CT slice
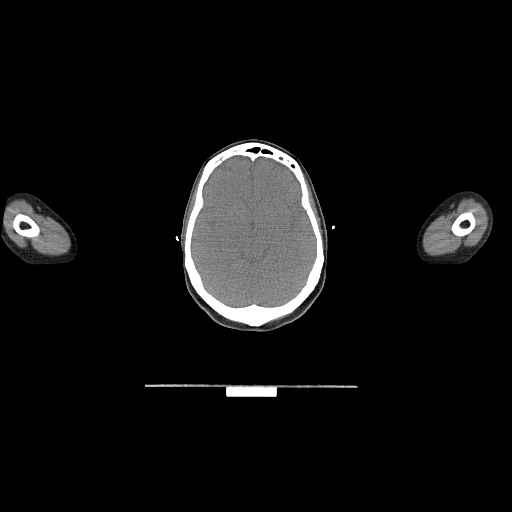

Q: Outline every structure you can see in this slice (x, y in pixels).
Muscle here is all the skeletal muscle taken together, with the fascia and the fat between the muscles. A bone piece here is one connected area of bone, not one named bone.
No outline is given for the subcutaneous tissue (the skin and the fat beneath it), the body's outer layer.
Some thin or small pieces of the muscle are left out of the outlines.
A: {"head":[[[244,139],[262,139],[275,143],[299,158],[314,186],[327,230],[328,263],[325,282],[320,294],[300,317],[268,331],[239,330],[215,322],[199,307],[189,294],[180,265],[181,250],[180,241],[177,238],[181,234],[186,203],[198,170],[214,152],[232,142]]],"bones":[{"outer":[[247,142],[262,143],[276,148],[291,156],[298,163],[304,175],[309,203],[322,237],[324,255],[319,280],[309,295],[292,312],[261,325],[249,325],[230,320],[219,314],[196,292],[184,266],[185,231],[188,218],[195,202],[197,184],[205,164],[222,151]],"hole":[[235,156],[247,157],[252,162],[260,157],[267,158],[293,174],[299,184],[299,204],[308,218],[315,238],[315,255],[304,284],[295,295],[278,305],[265,306],[254,302],[243,306],[226,304],[205,287],[192,255],[195,224],[205,204],[204,186],[217,167]]},[[19,213],[21,213],[22,214],[24,214],[25,215],[27,215],[29,216],[38,225],[40,229],[40,232],[39,234],[36,237],[34,237],[33,238],[28,238],[25,236],[23,236],[19,234],[14,229],[12,223],[13,222],[13,220],[15,216]],[[466,211],[467,211],[469,213],[472,213],[473,214],[473,215],[475,218],[475,226],[473,228],[473,229],[466,235],[465,235],[464,236],[457,236],[456,235],[455,235],[451,231],[451,226],[452,225],[454,220],[461,213],[462,213],[463,212],[465,212]]],"right_arm":[[[18,191],[24,191],[35,195],[47,204],[69,225],[75,235],[76,241],[77,242],[77,254],[73,260],[67,263],[63,263],[62,264],[31,265],[22,261],[7,247],[1,237],[3,218],[4,217],[4,211],[5,210],[6,201],[8,196],[10,194]]],"left_arm":[[[462,190],[473,190],[476,192],[478,192],[487,200],[490,205],[493,215],[493,223],[492,224],[491,232],[486,242],[471,259],[460,265],[439,265],[438,264],[428,264],[423,262],[418,257],[416,251],[416,238],[422,224],[431,212],[443,200],[450,195]]],"muscle":[{"outer":[[464,197],[472,197],[474,198],[478,202],[482,204],[486,211],[487,214],[487,227],[481,239],[476,245],[462,251],[457,251],[453,253],[444,254],[439,256],[429,256],[427,255],[422,249],[422,238],[426,228],[449,205],[460,198],[463,198]],"hole":[[466,211],[467,211],[469,213],[472,213],[473,214],[473,215],[475,218],[475,226],[473,228],[473,229],[466,235],[465,235],[464,236],[457,236],[456,235],[455,235],[451,231],[451,226],[452,225],[454,220],[461,213],[462,213],[463,212],[465,212]]},{"outer":[[21,198],[32,202],[36,206],[39,207],[48,216],[50,216],[57,221],[65,229],[68,233],[71,241],[71,248],[68,253],[59,256],[43,255],[36,252],[22,249],[18,247],[9,238],[5,230],[4,225],[5,207],[8,202],[15,199],[20,199]],"hole":[[19,213],[21,213],[22,214],[24,214],[25,215],[27,215],[29,216],[38,225],[40,229],[40,232],[39,234],[36,237],[34,237],[33,238],[28,238],[25,236],[23,236],[19,234],[14,229],[12,223],[13,222],[13,220],[15,216]]},[[305,178],[310,188],[310,190],[312,194],[312,197],[315,203],[315,206],[317,210],[317,213],[320,220],[320,225],[322,230],[321,233],[316,216],[313,211],[313,209],[310,203],[310,200],[309,199],[309,191],[308,190],[308,187],[307,186],[307,183]],[[195,189],[195,193],[194,194],[194,202],[193,203],[192,208],[189,213],[189,215],[187,218],[187,222],[186,223],[185,230],[185,223],[187,219],[187,214],[189,210],[189,206],[191,202],[191,199],[193,196],[193,193]]],"brain":[[[235,156],[247,157],[252,162],[260,157],[267,158],[293,174],[299,184],[299,204],[308,218],[315,238],[315,255],[304,284],[295,295],[278,305],[265,306],[254,302],[243,306],[226,304],[205,287],[192,255],[195,224],[205,204],[204,186],[217,167]]]}